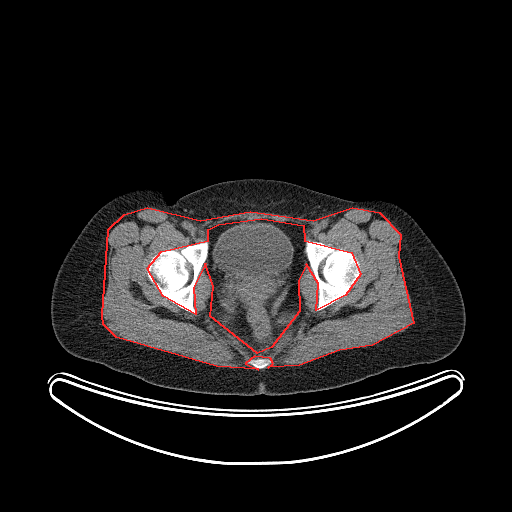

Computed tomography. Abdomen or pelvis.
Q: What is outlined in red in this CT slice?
A: red: muscle.
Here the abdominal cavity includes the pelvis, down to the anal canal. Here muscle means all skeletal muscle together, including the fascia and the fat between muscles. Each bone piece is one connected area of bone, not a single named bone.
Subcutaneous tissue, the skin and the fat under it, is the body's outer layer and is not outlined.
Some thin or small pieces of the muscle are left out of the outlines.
The muscle is outlined by [[147,207],[200,220],[250,211],[313,220],[352,207],[379,212],[400,234],[398,256],[413,323],[372,345],[339,350],[299,365],[268,367],[273,363],[270,358],[254,356],[245,363],[258,369],[216,366],[116,337],[103,324],[102,315],[108,229],[124,214]], around a hole outlined by [[261,218],[303,225],[304,240],[351,252],[360,274],[345,295],[316,310],[318,283],[306,264],[298,280],[299,311],[271,347],[257,353],[210,316],[213,286],[205,263],[193,287],[195,314],[163,296],[147,268],[161,251],[208,240],[208,229],[218,224]]. The torso is outlined by [[244,178],[287,181],[348,200],[382,199],[404,209],[439,250],[460,287],[466,323],[456,349],[435,362],[392,368],[337,388],[252,396],[156,386],[68,353],[56,339],[51,324],[52,287],[64,256],[98,209],[132,190],[159,189],[171,204],[205,186]]. The bones appear in 3 outlined pieces: piece 1: [[205,240],[207,240],[209,243],[207,257],[197,275],[195,284],[193,287],[193,307],[196,311],[196,313],[194,314],[181,308],[163,296],[161,292],[148,278],[147,268],[151,258],[154,255],[161,251],[172,250],[173,249],[179,251],[189,245],[199,243]]; piece 2: [[307,239],[313,241],[318,241],[327,245],[332,246],[335,248],[345,249],[355,255],[360,265],[360,274],[359,277],[350,290],[338,300],[320,310],[316,310],[316,308],[318,305],[318,298],[319,297],[318,283],[310,266],[309,261],[304,252],[305,240]]; piece 3: [[258,356],[261,356],[262,357],[266,357],[270,359],[272,361],[272,363],[269,366],[267,367],[265,367],[264,368],[261,368],[260,369],[258,368],[255,368],[253,366],[249,364],[247,364],[246,363],[246,361],[251,358],[253,358],[254,357],[257,357]]. The abdominal cavity is outlined by [[261,218],[278,222],[293,222],[305,226],[303,252],[309,265],[305,265],[298,280],[300,292],[299,311],[271,347],[263,353],[257,353],[224,330],[210,316],[208,303],[213,286],[212,279],[206,272],[206,264],[204,263],[209,253],[209,228],[229,220]].